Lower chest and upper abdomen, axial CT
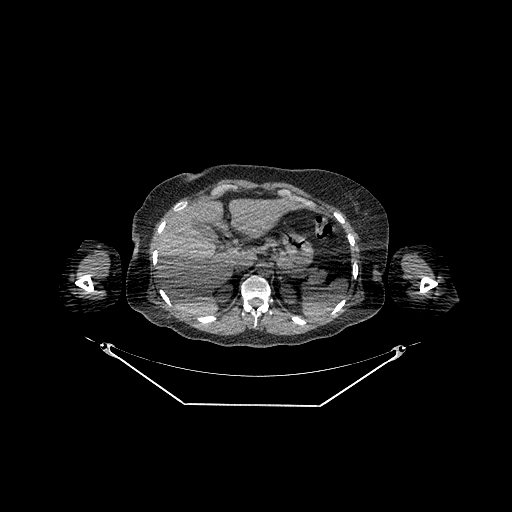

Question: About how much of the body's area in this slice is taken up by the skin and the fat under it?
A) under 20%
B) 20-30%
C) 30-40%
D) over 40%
Answer: C) 30-40%
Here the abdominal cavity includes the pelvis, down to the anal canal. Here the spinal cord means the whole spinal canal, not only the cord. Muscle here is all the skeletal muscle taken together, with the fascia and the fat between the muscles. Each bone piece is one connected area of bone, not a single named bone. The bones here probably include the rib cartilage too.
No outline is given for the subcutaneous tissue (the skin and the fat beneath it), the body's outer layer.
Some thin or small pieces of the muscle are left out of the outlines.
The abdominal cavity is outlined by 252 189; 277 194; 299 207; 328 214; 342 226; 351 253; 351 279; 343 298; 329 311; 317 317; 292 313; 272 295; 272 271; 268 265; 253 269; 239 283; 232 303; 213 315; 183 313; 162 288; 157 277; 158 240; 168 222; 201 200. The muscle appears in 3 outlined pieces: piece 1: 221 179; 290 183; 343 212; 359 236; 364 289; 362 300; 356 305; 347 307; 333 321; 293 335; 278 335; 248 329; 232 335; 214 334; 191 327; 177 320; 171 312; 156 306; 148 297; 147 250; 155 224; 172 205; 175 214; 167 223; 163 219; 157 226; 156 233; 159 239; 157 247; 151 252; 152 265; 161 286; 158 293; 170 308; 195 317; 201 324; 211 323; 217 319; 216 314; 233 303; 239 292; 242 302; 241 314; 243 316; 249 313; 252 316; 251 327; 256 330; 262 314; 273 313; 270 305; 274 302; 274 298; 291 312; 288 314; 289 318; 302 327; 307 324; 306 318; 317 318; 328 312; 332 317; 346 304; 347 299; 344 295; 350 287; 351 280; 357 278; 359 265; 356 259; 352 259; 351 249; 356 241; 350 231; 346 233; 343 227; 346 221; 342 213; 334 210; 332 216; 316 210; 317 204; 313 200; 287 188; 279 188; 276 193; 261 188; 236 190; 238 186; 233 183; 218 184; 209 191; 210 197; 189 205; 186 199; 180 199; piece 2: 92 250; 105 250; 110 259; 108 274; 101 281; 103 283; 105 289; 105 295; 100 299; 91 299; 90 298; 79 297; 73 294; 70 291; 69 288; 69 275; 72 272; 75 273; 76 272; 77 266; 80 261; 87 254; 90 253; inner edge: 87 273; 90 273; 91 274; 91 278; 92 279; 92 281; 93 282; 93 285; 94 286; 94 290; 92 292; 87 292; 86 291; 84 291; 84 290; 81 287; 80 287; 75 284; 75 281; 77 278; 78 278; 80 276; 82 276; piece 3: 408 253; 411 254; 417 253; 432 269; 435 276; 439 277; 445 281; 446 289; 441 295; 433 299; 424 299; 412 297; 407 293; 407 290; 410 284; 410 279; 408 277; 406 277; 405 272; 402 269; 401 266; 401 261; 403 256, around a hole outlined by 424 276; 427 276; 428 277; 429 277; 432 279; 434 279; 436 281; 437 281; 438 284; 433 288; 431 288; 430 289; 429 289; 425 293; 424 293; 423 294; 421 294; 420 293; 420 280; 421 279; 420 278; 421 277; 423 277. The torso is outlined by 224 163; 325 169; 349 177; 372 193; 382 204; 389 224; 382 276; 385 299; 380 310; 329 337; 297 345; 251 347; 223 346; 189 339; 150 322; 132 309; 126 299; 126 277; 133 248; 131 233; 135 212; 160 182; 180 173; 196 172. The bones appear in 15 outlined pieces: piece 1: 252 274; 262 276; 268 281; 271 288; 271 295; 274 300; 269 305; 269 308; 272 313; 269 313; 267 311; 262 313; 258 318; 256 329; 252 327; 254 321; 253 316; 249 312; 245 312; 243 315; 242 314; 243 302; 240 295; 240 283, around a hole outlined by 254 298; 258 298; 259 299; 260 299; 261 300; 261 302; 260 303; 259 303; 258 304; 258 305; 256 307; 254 307; 252 305; 251 305; 251 304; 250 303; 250 301; 252 299; 253 299; piece 2: 279 189; 287 189; 296 195; 301 196; 306 199; 313 201; 316 204; 315 210; 313 209; 310 209; 307 207; 302 207; 301 206; 299 206; 298 204; 294 201; 292 201; 288 199; 287 197; 283 195; 280 195; 278 194; 277 193; 277 191; piece 3: 87 273; 90 273; 91 274; 91 278; 92 279; 92 281; 93 282; 93 285; 94 286; 94 290; 92 292; 87 292; 86 291; 84 291; 84 290; 81 287; 80 287; 75 284; 75 281; 77 278; 78 278; 80 276; 82 276; piece 4: 221 184; 233 184; 234 185; 236 185; 237 186; 237 188; 235 190; 229 190; 228 191; 227 191; 226 192; 225 192; 222 195; 220 195; 219 196; 216 196; 215 197; 211 197; 210 196; 210 191; 214 187; 215 187; 218 185; 220 185; piece 5: 424 276; 427 276; 428 277; 429 277; 432 279; 434 279; 436 281; 437 281; 438 284; 433 288; 431 288; 430 289; 429 289; 425 293; 424 293; 423 294; 421 294; 420 293; 420 280; 421 279; 420 278; 421 277; 423 277; piece 6: 289 314; 294 314; 295 315; 299 315; 300 316; 301 316; 302 317; 305 318; 307 320; 307 321; 306 322; 306 324; 305 325; 302 326; 299 324; 297 324; 296 323; 295 323; 290 318; 290 317; 289 316; piece 7: 180 200; 186 200; 187 201; 187 202; 188 203; 188 205; 185 208; 184 208; 181 211; 180 211; 179 212; 178 212; 177 213; 176 213; 175 212; 174 212; 174 211; 173 210; 173 207; 174 206; 174 205; 178 201; 179 201; piece 8: 344 298; 345 298; 346 299; 346 301; 345 302; 345 304; 341 308; 341 309; 340 310; 339 310; 336 313; 336 314; 335 314; 334 315; 331 316; 330 315; 330 311; 336 305; 337 305; 338 304; 338 303; 341 300; 342 300; piece 9: 214 315; 216 317; 216 319; 214 321; 212 321; 211 322; 207 322; 206 323; 201 323; 200 322; 199 322; 196 319; 196 317; 198 317; 199 316; 213 316; piece 10: 352 260; 356 260; 357 261; 357 264; 358 265; 358 273; 357 274; 357 276; 356 277; 356 278; 355 279; 353 279; 352 278; piece 11: 159 289; 162 289; 165 292; 165 293; 168 296; 168 297; 170 299; 170 301; 171 302; 171 303; 173 305; 173 306; 174 307; 170 307; 166 303; 166 302; 162 298; 162 297; 161 296; 161 295; 159 293; piece 12: 155 248; 157 248; 158 249; 158 262; 157 263; 157 265; 156 266; 156 269; 154 267; 154 266; 153 265; 153 262; 152 261; 152 252; 153 251; 153 250; piece 13: 334 211; 338 211; 339 212; 340 212; 341 213; 341 214; 342 215; 342 216; 344 218; 344 220; 345 221; 345 222; 344 223; 344 225; 343 226; 333 216; 333 212; piece 14: 348 232; 350 232; 353 235; 353 237; 354 238; 354 240; 355 241; 355 243; 354 244; 354 245; 353 246; 353 247; 352 248; 351 248; 350 247; 350 245; 349 244; 349 243; 348 242; 348 240; 347 239; 347 238; 346 237; 346 234; piece 15: 163 220; 164 220; 165 221; 166 221; 166 225; 165 226; 165 228; 163 230; 163 231; 162 232; 162 233; 160 235; 159 235; 157 233; 157 228; 158 227; 158 226; 160 224; 160 223. The mediastinum is outlined by 266 266; 268 266; 270 268; 270 270; 271 271; 271 277; 270 278; 270 280; 269 282; 269 281; 265 277; 257 273; 252 273; 249 275; 249 274; 253 270; 257 268; 259 268; 260 267; 265 267. The spinal cord is outlined by 254 298; 258 298; 259 299; 260 299; 261 300; 261 302; 260 303; 259 303; 258 304; 258 305; 256 307; 254 307; 252 305; 251 305; 251 304; 250 303; 250 301; 252 299; 253 299. The right arm is outlined by 85 239; 97 239; 109 244; 117 250; 119 253; 121 261; 121 287; 118 299; 115 303; 105 309; 89 313; 75 312; 65 307; 60 302; 60 299; 58 295; 58 284; 60 280; 60 273; 64 267; 66 260; 77 249; 81 242. The left arm is outlined by 410 243; 422 243; 429 245; 437 250; 443 256; 449 269; 449 272; 452 276; 452 282; 456 288; 459 290; 460 299; 458 303; 452 309; 438 315; 416 313; 402 307; 393 300; 388 284; 388 274; 389 273; 390 261; 394 252; 398 248.